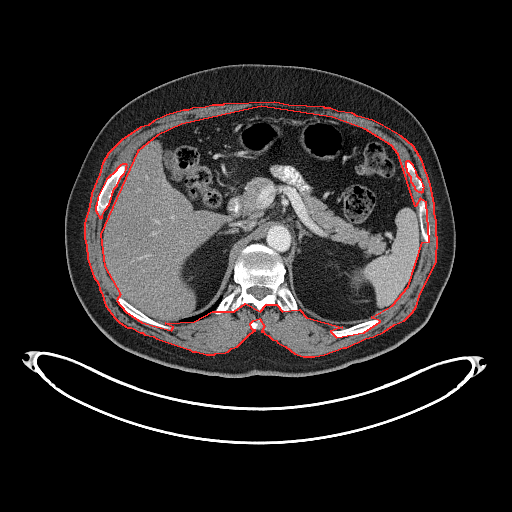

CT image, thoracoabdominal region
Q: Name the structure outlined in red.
A: red: muscle.
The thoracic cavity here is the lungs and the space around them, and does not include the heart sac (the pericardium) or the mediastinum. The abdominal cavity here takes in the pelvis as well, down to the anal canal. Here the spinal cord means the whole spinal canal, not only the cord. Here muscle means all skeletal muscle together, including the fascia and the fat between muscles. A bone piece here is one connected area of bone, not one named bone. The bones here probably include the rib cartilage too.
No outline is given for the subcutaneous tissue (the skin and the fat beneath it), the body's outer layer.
Outlines (x, y in pixels):
muscle: (303, 356) (314, 356) (324, 354) (343, 347) (346, 347) (365, 338) (373, 336) (384, 331) (394, 324) (404, 320) (412, 312) (416, 306) (419, 296) (436, 261) (437, 237) (436, 236) (436, 221) (434, 212) (434, 204) (430, 184) (422, 161) (413, 146) (401, 136) (380, 124) (372, 120) (357, 116) (352, 113) (337, 111) (330, 108) (325, 108) (324, 107) (288, 105) (274, 102) (223, 104) (222, 105) (212, 105) (205, 107) (192, 108) (188, 110) (183, 110) (166, 115) (153, 121) (148, 125) (140, 127) (121, 140) (108, 153) (102, 163) (99, 174) (91, 193) (89, 206) (84, 223) (84, 238) (86, 245) (87, 258) (93, 276) (98, 283) (99, 289) (101, 292) (105, 305) (114, 317) (119, 322) (127, 327) (131, 327) (140, 332) (142, 332) (144, 334) (153, 336) (156, 338) (189, 349) (192, 351) (196, 351) (206, 354) (214, 354) (215, 353) (225, 352) (228, 351) (231, 348) (237, 346) (250, 333) (255, 330) (253, 330) (251, 328) (250, 323) (253, 320) (259, 318) (264, 326) (261, 331) (263, 331) (264, 333) (268, 335) (272, 339) (276, 340) (277, 342) (285, 346) (294, 353), around holes outlined by (336, 337) (364, 332) (380, 321) (371, 317) (392, 305) (408, 286) (422, 242) (429, 241) (426, 202) (420, 198) (415, 206) (398, 154) (391, 145) (365, 129) (332, 117) (261, 106) (181, 124) (157, 135) (137, 151) (100, 234) (104, 266) (120, 294) (116, 300) (125, 311) (141, 322) (171, 330) (173, 327) (165, 323) (194, 321) (212, 311) (234, 311) (245, 303) (260, 311) (266, 304) (276, 304) (282, 311) (299, 309) (306, 317) (342, 327) (330, 331) and by (100, 218) (102, 217) (102, 215) (105, 209) (109, 204) (114, 188) (117, 185) (121, 176) (124, 173) (126, 169) (126, 166) (127, 165) (126, 164) (122, 164) (120, 165) (116, 169) (116, 170) (106, 179) (97, 197) (96, 205) (95, 206) (95, 210) and by (421, 192) (423, 191) (423, 188) (424, 187) (423, 186) (423, 184) (421, 180) (417, 176) (416, 171) (413, 165) (409, 161) (406, 161) (405, 162) (405, 167) (406, 168) (406, 171) (410, 176) (410, 181) (414, 186) (414, 188) (416, 190) (418, 191) (420, 191)
thoracic cavity: (180, 322) (188, 322) (189, 321) (194, 321) (195, 320) (200, 319) (208, 315) (212, 311) (213, 311) (213, 310) (216, 307) (216, 306) (222, 298) (222, 296) (220, 297) (209, 308) (208, 308) (207, 310) (195, 316) (192, 316) (189, 318) (183, 319) (181, 320)
torso: (222, 377) (299, 377) (341, 369) (397, 347) (429, 319) (453, 265) (453, 211) (441, 165) (426, 130) (388, 94) (316, 68) (255, 63) (222, 65) (183, 75) (138, 95) (118, 109) (94, 138) (71, 188) (64, 219) (67, 268) (81, 305) (94, 324) (124, 350) (169, 367)
bones 1: (215, 314) (222, 313) (229, 308) (234, 311) (245, 303) (253, 304) (258, 311) (266, 304) (276, 304) (282, 311) (297, 311) (298, 308) (284, 280) (285, 268) (281, 257) (260, 243) (252, 243) (243, 248) (234, 265) (233, 281) (230, 283) (226, 294) (214, 310) (213, 312); inner edge: (258, 299) (260, 299) (261, 298) (262, 298) (264, 296) (265, 296) (267, 294) (268, 294) (269, 293) (269, 289) (268, 289) (265, 287) (258, 287) (257, 286) (254, 286) (253, 287) (251, 287) (248, 290) (248, 291) (250, 293) (251, 293) (256, 298) (257, 298)
bones 2: (100, 218) (102, 217) (102, 215) (105, 209) (109, 204) (114, 188) (117, 185) (121, 176) (124, 173) (126, 169) (126, 166) (127, 165) (126, 164) (122, 164) (120, 165) (116, 169) (116, 170) (106, 179) (97, 197) (96, 205) (95, 206) (95, 210)
bones 3: (169, 330) (171, 330) (173, 327) (168, 325) (165, 325) (148, 317) (142, 312) (136, 309) (120, 296) (116, 298) (116, 300) (120, 306) (134, 318) (137, 319) (141, 322) (145, 322) (146, 323) (152, 324) (155, 326) (158, 326) (159, 327) (161, 327) (165, 329) (168, 329)
bones 4: (336, 337) (343, 337) (348, 335) (354, 335) (355, 334) (358, 334) (359, 333) (364, 332) (373, 328) (380, 321) (380, 320) (378, 318) (369, 319) (359, 324) (356, 324) (355, 325) (353, 325) (349, 327) (346, 327) (339, 330) (332, 330) (330, 331) (330, 334)
bones 5: (426, 244) (428, 243) (429, 241) (429, 237) (430, 236) (430, 226) (429, 225) (429, 220) (428, 219) (428, 211) (427, 210) (426, 202) (423, 198) (420, 198) (417, 204) (417, 209) (418, 210) (418, 215) (420, 219) (420, 226) (421, 227) (421, 233) (422, 234) (422, 239)
bones 6: (421, 192) (423, 191) (423, 188) (424, 187) (423, 186) (423, 184) (421, 180) (417, 176) (416, 171) (413, 165) (409, 161) (406, 161) (405, 162) (405, 167) (406, 168) (406, 171) (410, 176) (410, 181) (414, 186) (414, 188) (416, 190) (418, 191) (420, 191)
bones 7: (256, 330) (257, 330) (258, 329) (261, 329) (263, 327) (263, 326) (262, 325) (262, 324) (261, 323) (261, 322) (260, 321) (260, 320) (259, 319) (258, 319) (257, 320) (256, 320) (255, 321) (253, 321) (251, 323) (251, 326) (252, 327) (252, 328) (253, 329) (255, 329)
spinal cord: (258, 299) (260, 299) (261, 298) (262, 298) (264, 296) (265, 296) (267, 294) (268, 294) (269, 293) (269, 289) (268, 289) (265, 287) (258, 287) (257, 286) (254, 286) (253, 287) (251, 287) (248, 290) (248, 291) (250, 293) (251, 293) (256, 298) (257, 298)
abdominal cavity: (341, 327) (371, 318) (392, 305) (408, 286) (419, 261) (422, 240) (417, 210) (391, 145) (332, 117) (261, 106) (181, 124) (137, 151) (100, 234) (106, 272) (122, 297) (158, 321) (179, 323) (223, 296) (232, 281) (239, 251) (260, 242) (282, 257) (285, 280) (302, 315)